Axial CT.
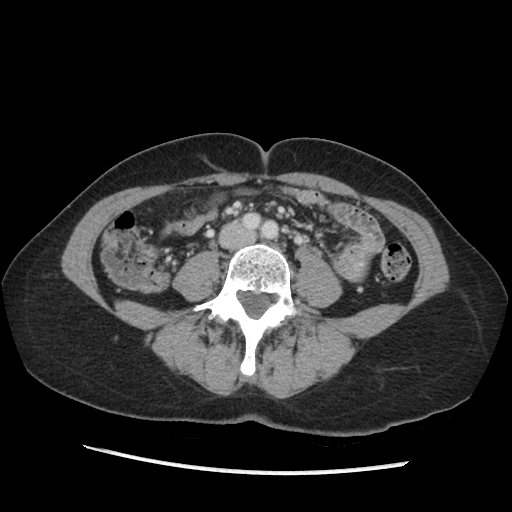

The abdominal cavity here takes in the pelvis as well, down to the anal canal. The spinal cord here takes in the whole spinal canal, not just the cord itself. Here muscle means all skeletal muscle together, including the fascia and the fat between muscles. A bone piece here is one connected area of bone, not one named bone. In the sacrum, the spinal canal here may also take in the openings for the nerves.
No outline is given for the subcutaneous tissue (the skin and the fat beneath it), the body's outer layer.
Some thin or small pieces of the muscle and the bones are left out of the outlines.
The muscle appears in 2 outlined pieces: piece 1: 223,170 321,174 360,193 414,210 427,219 440,243 450,275 448,288 369,338 336,375 308,392 273,399 247,384 228,396 192,388 145,344 141,330 85,294 63,274 60,263 74,227 100,199 135,186 169,184 with a hole at 252,179 347,196 383,215 417,258 408,301 326,315 321,309 340,298 341,282 299,247 290,290 301,313 264,332 252,375 240,371 245,337 236,321 209,319 209,309 192,305 110,303 92,253 114,216 166,192; piece 2: 213,249 217,250 220,253 218,257 218,277 221,282 221,287 217,294 210,299 205,300 199,303 193,303 190,302 177,290 173,288 172,286 172,280 177,272 182,267 186,261 199,252 205,251 206,250 212,250. The abdominal cavity is outlined by 252,179 347,196 383,215 417,258 408,301 326,315 321,309 343,293 330,266 299,247 291,285 285,255 257,242 233,253 222,283 217,249 186,260 171,286 193,306 110,303 92,253 114,216 166,192. The spinal cord is outlined by 240,291 242,292 245,292 246,291 252,291 256,294 258,294 259,293 265,293 266,294 273,296 273,299 274,300 273,302 272,302 268,306 264,312 258,318 252,318 247,314 243,305 238,298 238,292. The bones are outlined by 257,243 277,249 284,255 291,271 291,296 301,313 286,317 280,326 264,332 255,349 255,371 245,375 240,371 245,337 238,323 232,319 225,322 217,321 216,317 209,319 209,309 192,309 218,294 234,253; inner edge: 240,291 242,292 245,292 246,291 252,291 256,294 258,294 259,293 265,293 266,294 273,296 273,299 274,300 273,302 272,302 268,306 264,312 258,318 252,318 247,314 243,305 238,298 238,292. The torso is outlined by 205,132 239,134 265,150 290,137 334,140 385,160 424,190 491,263 508,295 494,348 465,401 382,431 325,436 255,421 204,424 119,416 65,397 30,375 12,335 2,289 4,272 15,254 114,164 156,144.